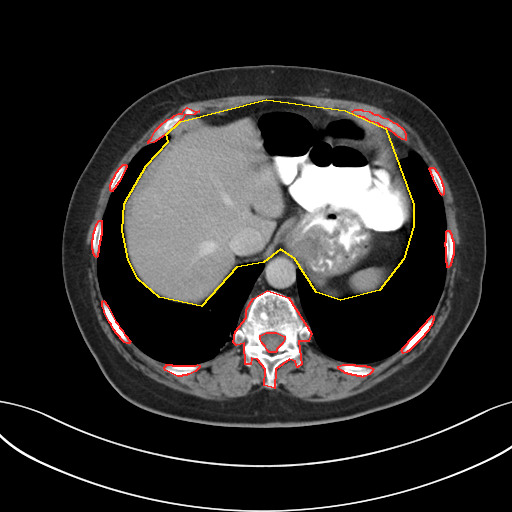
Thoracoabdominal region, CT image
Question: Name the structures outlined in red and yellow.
Answer: red: bones; yellow: abdominal cavity.
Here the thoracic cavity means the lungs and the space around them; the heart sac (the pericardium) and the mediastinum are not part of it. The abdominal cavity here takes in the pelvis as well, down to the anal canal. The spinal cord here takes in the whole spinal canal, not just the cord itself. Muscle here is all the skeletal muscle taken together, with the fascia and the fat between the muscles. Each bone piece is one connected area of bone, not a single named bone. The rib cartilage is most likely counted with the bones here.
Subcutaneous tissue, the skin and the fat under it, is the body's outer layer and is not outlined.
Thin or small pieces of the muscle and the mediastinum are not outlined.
Outlined structures:
bones 1: [[267,290],[288,297],[311,333],[308,341],[298,341],[301,364],[297,367],[295,361],[289,359],[275,369],[274,388],[264,385],[265,369],[257,359],[251,358],[250,364],[245,364],[244,343],[236,345],[233,342],[235,331],[246,317],[246,309],[253,298]] with a hole at [[266,332],[276,332],[284,336],[284,339],[282,343],[276,349],[276,351],[275,352],[269,352],[267,350],[265,346],[262,343],[260,339],[260,335]]
bones 2: [[355,109],[361,109],[362,110],[369,111],[374,114],[377,114],[382,117],[387,118],[393,122],[396,123],[403,129],[405,134],[405,140],[402,139],[396,135],[389,129],[380,125],[378,123],[370,121],[364,117],[361,117],[360,116],[354,115],[352,111]]
bones 3: [[187,107],[193,110],[199,111],[196,112],[194,114],[184,115],[182,119],[180,120],[173,127],[173,128],[168,131],[167,133],[153,142],[148,143],[148,141],[151,138],[155,130],[160,125],[167,119],[172,117],[174,115],[178,113],[182,113],[184,109]]
bones 4: [[342,364],[354,364],[355,365],[365,365],[366,366],[369,366],[373,369],[372,371],[369,374],[365,376],[363,376],[362,377],[361,376],[357,376],[356,375],[352,375],[351,374],[348,374],[347,373],[345,373],[343,371],[342,371],[338,368],[338,366]]
bones 5: [[432,315],[433,316],[433,320],[432,321],[432,323],[431,324],[431,325],[429,327],[428,330],[424,334],[424,335],[408,351],[407,351],[406,352],[403,353],[401,350],[402,349],[402,348],[408,342],[408,341],[420,329],[420,328],[427,321],[427,320]]
bones 6: [[166,364],[171,364],[172,365],[195,365],[197,364],[199,365],[199,367],[195,371],[189,374],[187,374],[186,375],[182,375],[181,376],[177,376],[165,370],[164,367],[166,365]]
bones 7: [[103,300],[107,305],[115,321],[117,323],[119,327],[122,330],[124,334],[130,341],[129,343],[126,343],[124,342],[120,338],[120,337],[115,332],[115,331],[113,329],[111,324],[109,322],[104,312],[104,310],[102,306],[102,301]]
bones 8: [[99,220],[101,220],[101,235],[100,236],[100,240],[99,241],[99,245],[98,246],[98,252],[97,253],[97,256],[96,257],[94,255],[94,254],[93,253],[93,250],[92,249],[92,239],[93,238],[93,233],[94,232],[94,230],[95,229],[96,224]]
bones 9: [[447,230],[449,230],[449,231],[451,234],[451,237],[452,238],[452,240],[453,241],[453,255],[452,256],[452,258],[451,259],[451,262],[450,263],[450,265],[448,267],[447,267],[447,263],[446,262],[446,247],[445,246],[445,242],[446,241],[446,231]]
bones 10: [[123,164],[125,164],[126,165],[126,167],[125,168],[119,181],[117,183],[117,184],[115,186],[115,187],[112,190],[112,191],[111,191],[110,190],[110,184],[112,181],[112,179],[114,177],[114,176],[115,175],[116,172],[118,170],[118,169]]
bones 11: [[430,167],[433,167],[435,169],[435,170],[437,172],[437,173],[441,180],[441,182],[442,183],[442,185],[443,186],[443,194],[442,195],[440,193],[440,192],[433,179],[433,177],[432,176],[432,175],[431,174],[431,172],[429,169],[429,168]]
abdominal cavity: [[266,99],[345,110],[385,128],[413,204],[413,226],[403,259],[379,290],[340,300],[316,292],[294,258],[280,249],[263,262],[236,267],[201,306],[159,297],[138,279],[128,260],[122,230],[124,203],[146,165],[168,141],[166,134],[180,121]]
thoracic cavity 1: [[410,150],[417,153],[427,166],[444,208],[446,269],[441,293],[431,315],[397,351],[372,363],[338,360],[318,347],[310,326],[305,322],[297,270],[303,272],[316,293],[334,301],[373,294],[389,281],[408,251],[414,226],[412,193],[400,167],[400,162]]
thoracic cavity 2: [[165,135],[167,141],[145,165],[122,206],[125,253],[137,279],[154,295],[168,302],[201,307],[218,293],[236,268],[263,263],[236,328],[224,347],[214,357],[195,364],[165,363],[142,351],[116,321],[104,300],[98,279],[102,220],[110,196],[136,154]]
muscle: [[235,95],[315,95],[320,97],[328,97],[329,98],[352,100],[353,101],[366,103],[381,108],[388,114],[391,114],[401,119],[416,131],[424,145],[436,160],[444,177],[448,183],[453,197],[453,203],[456,208],[455,216],[456,217],[456,222],[461,242],[460,253],[458,257],[457,271],[454,278],[453,296],[451,298],[451,308],[450,311],[444,323],[431,343],[419,356],[388,377],[362,392],[345,398],[333,400],[332,401],[311,402],[310,401],[306,401],[295,396],[289,395],[286,393],[283,393],[280,391],[277,391],[274,389],[264,388],[254,393],[249,393],[243,396],[227,400],[223,400],[222,401],[205,399],[169,387],[156,381],[144,374],[140,370],[133,367],[118,352],[99,324],[91,300],[88,271],[84,262],[86,259],[86,247],[87,246],[86,244],[86,236],[89,226],[94,217],[94,213],[101,188],[112,170],[132,144],[156,121],[165,114],[173,109],[175,109],[179,106],[188,102],[201,101],[202,100],[207,100],[208,99],[213,99],[220,97],[226,97],[227,96],[234,96]]; inner edge: [[266,99],[351,113],[361,109],[387,118],[403,129],[409,149],[441,180],[453,255],[432,323],[408,351],[400,348],[365,363],[373,369],[365,376],[339,369],[348,363],[324,353],[311,335],[298,341],[298,367],[289,359],[275,369],[274,388],[264,385],[265,369],[257,359],[245,364],[243,342],[232,342],[195,371],[177,376],[164,362],[124,342],[104,312],[92,239],[118,169],[187,107],[199,111],[195,115],[217,114]]
spinal cord: [[266,332],[276,332],[284,336],[284,339],[282,343],[276,349],[276,351],[275,352],[269,352],[267,350],[265,346],[262,343],[260,339],[260,335]]
mediastinum 1: [[278,250],[291,256],[299,266],[299,268],[296,270],[296,283],[304,321],[296,306],[288,296],[279,291],[273,289],[267,289],[258,293],[252,298],[247,308],[245,309],[246,310],[245,317],[240,325],[237,327],[239,319],[254,283],[264,267],[264,262]]
mediastinum 2: [[386,129],[389,130],[396,136],[397,136],[399,138],[403,140],[409,148],[409,152],[407,156],[403,158],[399,162],[399,163],[398,161],[398,153],[397,152],[397,150],[393,143],[393,141],[391,139]]
torso: [[259,64],[348,72],[413,93],[441,119],[473,178],[486,229],[480,301],[441,373],[425,391],[407,401],[350,419],[295,427],[185,421],[147,411],[122,397],[102,373],[78,329],[62,275],[63,225],[74,186],[110,125],[133,101],[168,81],[213,68]]